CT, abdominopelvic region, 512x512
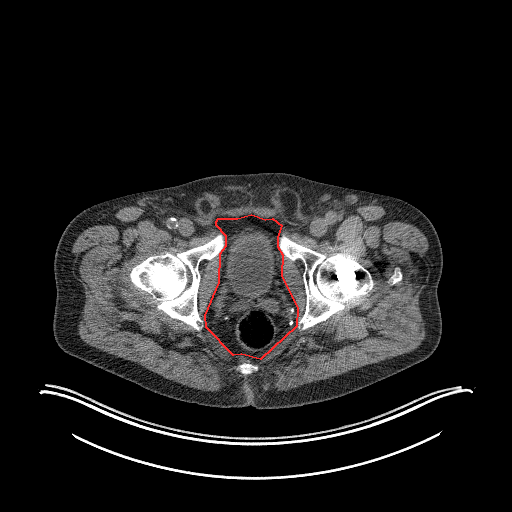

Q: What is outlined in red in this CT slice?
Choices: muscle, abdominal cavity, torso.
A: red: abdominal cavity.
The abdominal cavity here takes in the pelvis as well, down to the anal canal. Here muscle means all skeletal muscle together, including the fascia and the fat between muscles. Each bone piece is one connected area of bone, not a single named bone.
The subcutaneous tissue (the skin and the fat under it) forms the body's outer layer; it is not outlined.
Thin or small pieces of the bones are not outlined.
Outlines (x, y in pixels):
abdominal cavity: 251,214 265,219 272,218 281,225 277,237 277,246 282,254 281,275 297,308 296,326 260,359 241,354 233,355 206,327 205,315 219,282 220,253 226,245 226,236 216,225 216,221 218,218 237,218
muscle 1: 355,202 375,203 401,216 429,242 432,276 419,296 425,337 409,352 288,390 266,389 261,377 249,376 204,391 79,336 85,293 71,269 71,250 80,230 103,213 154,205 205,217 251,205 307,224 329,208; inner edges: 251,214 277,220 281,233 327,256 350,256 374,282 350,307 304,330 294,327 260,359 233,355 206,327 205,312 220,278 219,254 198,267 200,331 158,309 129,277 151,255 176,254 209,241 222,231 218,218, then 243,362 246,362 247,363 251,363 252,364 255,364 256,365 257,365 258,366 258,370 257,371 255,371 254,372 253,372 250,374 242,374 240,372 237,371 235,369 235,367 238,364 239,364 240,363 242,363, then 395,267 398,267 399,268 399,269 400,270 400,271 402,274 402,278 400,281 399,281 398,282 397,282 394,284 392,284 391,283 391,282 389,279 390,278 390,277 391,276 391,275 393,272 393,270
muscle 2: 283,256 292,261 299,260 302,263 303,266 302,281 305,293 305,304 304,305 303,313 297,322 296,315 298,311 298,308 295,302 294,297 286,288 286,285 284,282 282,275 282,269 281,267 282,266 282,257
bones 1: 281,233 295,242 327,256 337,252 350,256 370,273 374,282 372,288 366,294 355,296 351,300 350,307 345,307 326,320 300,330 297,325 306,304 303,281 304,266 299,259 292,260 283,255 278,246 278,237
bones 2: 219,232 222,232 225,236 224,247 213,258 202,260 198,267 200,280 197,290 197,310 203,321 203,327 200,331 197,331 183,321 173,318 158,309 152,297 131,282 129,274 135,265 151,255 182,252 204,244
bones 3: 243,362 246,362 247,363 251,363 252,364 255,364 256,365 257,365 258,366 258,370 257,371 255,371 254,372 253,372 250,374 242,374 240,372 237,371 235,369 235,367 238,364 239,364 240,363 242,363
bones 4: 395,267 398,267 399,268 399,269 400,270 400,271 402,274 402,278 400,281 399,281 398,282 397,282 394,284 392,284 391,283 391,282 389,279 390,278 390,277 391,276 391,275 393,272 393,270
torso: 261,172 289,173 397,197 429,218 443,255 437,287 442,330 438,346 429,357 335,399 259,410 252,405 218,408 175,400 71,356 58,346 52,327 56,299 53,261 59,238 73,217 96,203 136,192 219,174